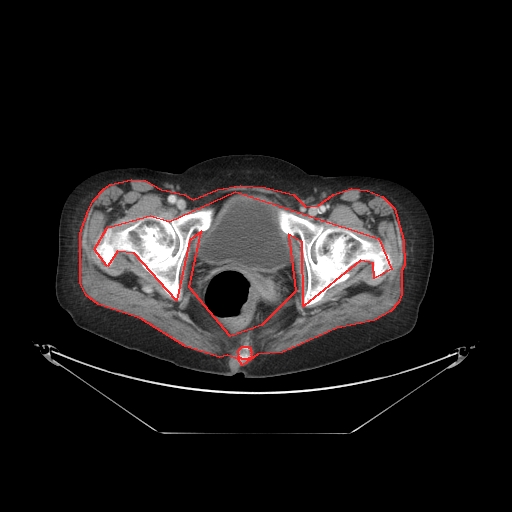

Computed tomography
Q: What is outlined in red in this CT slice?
A: red: muscle.
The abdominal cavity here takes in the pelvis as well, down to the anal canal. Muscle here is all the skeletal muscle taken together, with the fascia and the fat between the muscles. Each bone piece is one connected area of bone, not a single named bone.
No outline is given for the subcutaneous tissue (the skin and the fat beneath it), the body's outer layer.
{"muscle":[{"outer":[[131,179],[145,180],[161,189],[184,194],[193,199],[217,189],[240,185],[265,187],[293,194],[305,206],[318,205],[333,194],[351,188],[367,190],[382,196],[394,208],[403,240],[404,265],[401,270],[401,294],[398,302],[390,311],[374,320],[336,328],[282,352],[257,354],[242,365],[238,359],[227,355],[219,357],[185,346],[140,318],[98,304],[86,295],[80,283],[80,233],[88,210],[93,200],[104,188],[110,184]],"holes":[[[235,191],[378,238],[391,269],[374,278],[373,263],[360,260],[303,306],[302,242],[288,234],[295,291],[261,325],[230,336],[189,287],[201,231],[189,240],[176,300],[134,253],[117,251],[107,266],[94,249],[107,227],[150,215],[169,221]],[[242,346],[247,346],[248,347],[250,347],[250,350],[251,351],[251,353],[250,354],[251,355],[251,357],[250,358],[248,358],[247,359],[242,359],[241,358],[239,358],[238,357],[238,356],[239,355],[238,354],[238,350]]]}],"torso":[[[229,154],[274,156],[323,176],[387,178],[411,190],[426,208],[434,235],[429,281],[413,329],[402,337],[327,366],[248,379],[240,372],[229,377],[180,368],[78,327],[55,295],[59,219],[72,189],[88,176],[105,169],[141,166],[175,173],[203,160]]],"abdominal_cavity":[[[235,191],[270,195],[279,204],[280,207],[276,210],[277,222],[289,240],[297,287],[267,315],[261,325],[239,335],[230,336],[219,328],[213,316],[189,287],[188,278],[190,264],[198,251],[202,232],[211,226],[213,220],[215,209],[212,202],[223,194]]],"bones":[[[280,208],[325,228],[340,226],[368,241],[380,239],[384,251],[391,257],[391,269],[374,278],[373,263],[360,260],[348,269],[350,276],[329,288],[320,301],[303,306],[301,299],[307,290],[307,269],[302,242],[297,234],[289,235],[281,230],[277,217]],[[207,208],[214,209],[210,226],[204,231],[195,230],[191,235],[180,265],[178,283],[181,290],[176,300],[164,291],[134,253],[117,251],[110,266],[105,265],[95,254],[94,249],[103,241],[107,227],[119,231],[146,216],[159,216],[169,221],[179,215]],[[242,346],[247,346],[248,347],[250,347],[250,350],[251,351],[251,353],[250,354],[251,355],[251,357],[250,358],[248,358],[247,359],[242,359],[241,358],[239,358],[238,357],[238,356],[239,355],[238,354],[238,350]]]}